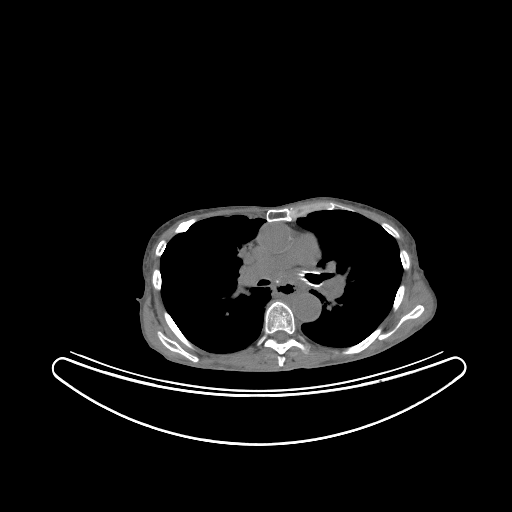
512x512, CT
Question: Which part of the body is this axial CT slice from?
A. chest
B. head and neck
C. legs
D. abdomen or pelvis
Answer: A. chest
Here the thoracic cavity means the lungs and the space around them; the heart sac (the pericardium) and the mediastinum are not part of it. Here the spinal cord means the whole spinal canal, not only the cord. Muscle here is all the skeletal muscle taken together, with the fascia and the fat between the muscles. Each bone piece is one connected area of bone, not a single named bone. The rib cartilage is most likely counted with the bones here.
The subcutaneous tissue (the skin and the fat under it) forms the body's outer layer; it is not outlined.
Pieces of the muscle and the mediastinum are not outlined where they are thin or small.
Outlines (x, y in pixels):
mediastinum: 295,220 316,236 322,252 318,262 321,313 317,319 300,327 285,302 274,300 265,307 271,293 268,287 259,284 249,258 249,246 256,235 256,249 273,266 301,264 316,242 313,234 298,231 281,221
pericardium: 268,222 284,222 287,225 298,232 301,233 309,233 313,235 315,243 312,249 307,254 304,260 302,261 301,263 295,263 291,265 286,265 285,266 276,266 269,262 257,249 256,238 259,229 263,224
bones 1: 274,301 281,301 291,309 295,323 300,333 309,345 309,350 307,353 303,352 296,346 291,346 283,355 285,359 282,366 278,364 278,353 274,349 271,347 266,347 262,344 259,346 255,344 262,333 265,308; inner edge: 280,330 281,330 282,331 284,331 285,332 286,332 289,335 289,337 285,341 283,341 282,342 279,342 278,341 277,341 275,339 274,339 272,337 272,335 276,331 279,331
bones 2: 319,201 324,201 325,202 331,201 350,207 355,211 351,211 345,209 321,209 320,210 314,210 309,212 304,216 300,216 296,219 290,221 286,220 267,221 265,218 265,214 268,209 283,208 284,207 290,208
bones 3: 418,304 424,307 423,312 415,318 410,318 405,320 389,336 383,339 377,338 375,339 366,348 357,353 343,354 341,352 344,348 352,346 363,340 379,326 381,326 382,328 381,331 383,333 390,331 404,315
bones 4: 158,331 160,331 163,333 165,336 178,343 183,349 189,353 193,355 195,355 198,357 199,360 196,362 194,362 188,359 183,355 177,352 172,351 167,348 159,339 157,335 157,332
bones 5: 165,310 166,310 166,311 170,315 170,316 172,318 176,325 179,328 179,329 185,336 185,337 195,346 195,348 194,349 189,348 185,344 184,344 177,337 177,336 169,327 164,318 164,315 163,314
bones 6: 401,283 402,283 404,285 404,293 403,294 403,297 402,298 402,300 401,301 399,306 397,308 397,309 395,311 394,311 392,309 392,306 393,305 393,302 394,301 394,299 395,298 395,295 396,294 396,292
bones 7: 192,217 195,217 197,219 197,221 196,221 194,223 193,223 185,231 183,231 182,232 179,232 178,233 175,233 174,232 174,231 175,230 175,229 177,227 177,226 182,221 185,221 186,220 187,220
bones 8: 156,268 158,268 159,269 159,271 160,272 160,274 161,275 161,288 160,289 160,290 157,290 156,289 155,289 155,288 153,286 153,284 152,283 152,275 153,274 153,271 154,270 154,269 155,269
bones 9: 400,249 404,249 407,252 407,253 408,254 408,256 409,257 409,261 410,262 410,266 409,267 409,268 406,270 404,270 403,269 403,267 402,266 402,263 401,262 401,259 400,258 400,254 399,253 400,252
bones 10: 382,222 385,222 386,223 387,223 388,224 389,224 392,227 393,227 397,231 397,232 399,234 399,238 398,238 397,239 396,238 395,238 393,236 392,236 388,232 387,232 381,226 381,225 380,224
bones 11: 163,239 164,240 165,240 167,242 167,243 165,246 165,248 164,249 164,250 163,251 162,254 160,256 157,256 155,254 155,251 156,250 156,247 157,246 158,243 161,240 162,240
thoracic cavity 1: 233,215 265,219 250,241 248,258 258,284 263,288 268,288 270,298 264,306 261,333 254,342 243,349 232,352 212,352 190,341 167,311 161,293 160,260 168,242 176,234 185,232 200,220 215,216
thoracic cavity 2: 321,210 345,210 361,214 379,224 395,239 399,248 403,270 390,310 367,336 346,347 317,343 305,337 299,328 305,323 314,322 322,313 323,303 319,298 322,268 319,262 323,252 317,236 300,225 297,219
torso: 314,196 334,196 374,206 397,218 409,230 416,242 419,265 437,296 435,315 427,324 397,345 359,361 278,373 200,371 168,361 147,345 140,331 136,298 144,289 143,253 156,228 180,213 198,208 279,205
muscle: 332,201 373,211 392,221 407,237 416,269 433,299 428,317 407,335 376,351 354,358 314,366 280,367 271,370 199,366 167,356 148,340 142,313 148,287 147,260 153,245 164,231 180,220 228,208 266,208 264,217 233,214 198,220 192,216 176,226 173,231 175,234 168,241 163,238 155,247 154,254 160,259 159,267 152,271 151,283 155,290 160,291 165,308 162,314 166,324 189,349 194,350 197,346 208,352 222,354 243,350 254,343 257,347 262,345 274,350 277,353 277,364 282,367 286,359 284,355 291,347 296,347 305,354 309,352 310,345 305,338 323,346 343,348 340,351 343,355 357,354 375,340 383,340 392,335 405,321 419,317 425,307 418,303 390,330 382,331 380,324 391,309 394,312 398,309 403,300 405,285 401,280 403,271 411,266 409,254 399,247 396,239 400,238 400,234 389,223 378,223 350,206; inner edge: 158,331 160,331 163,333 165,336 178,343 183,349 189,353 193,355 195,355 198,357 199,360 196,362 194,362 188,359 183,355 177,352 172,351 167,348 159,339 157,335 157,332
spinal cord: 280,330 281,330 282,331 284,331 285,332 286,332 289,335 289,337 285,341 283,341 282,342 279,342 278,341 277,341 275,339 274,339 272,337 272,335 276,331 279,331